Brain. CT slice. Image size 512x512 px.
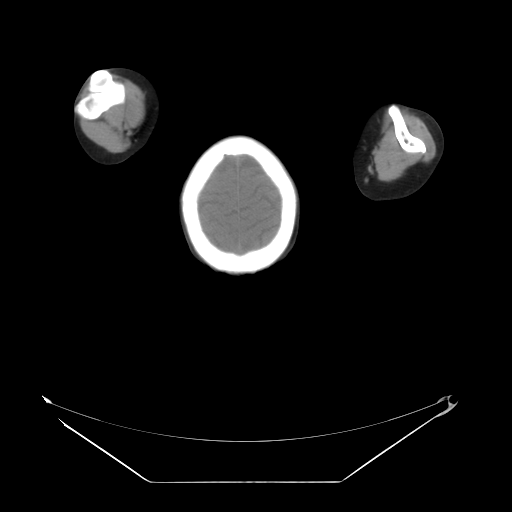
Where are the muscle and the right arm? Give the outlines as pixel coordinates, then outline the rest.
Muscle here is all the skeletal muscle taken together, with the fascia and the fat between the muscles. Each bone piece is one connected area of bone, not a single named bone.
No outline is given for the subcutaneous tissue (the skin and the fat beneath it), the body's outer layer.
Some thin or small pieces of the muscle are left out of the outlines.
The muscle appears in 2 outlined pieces: piece 1: 400 107; 422 118; 435 141; 436 155; 427 164; 419 163; 412 166; 401 178; 393 182; 376 185; 366 184; 364 183; 366 163; 375 142; 378 119; 386 108; 392 122; 394 135; 400 147; 406 153; 424 154; 427 150; 425 142; 409 130; piece 2: 112 73; 130 79; 145 92; 145 102; 147 111; 146 118; 142 128; 132 146; 125 152; 117 154; 106 153; 95 146; 81 130; 77 115; 87 120; 97 119; 111 107; 123 104; 125 102; 125 85; 121 81; 115 80; 113 78. The right arm is outlined by 113 66; 131 68; 145 75; 155 86; 159 94; 161 107; 160 108; 159 119; 156 126; 149 138; 149 140; 142 149; 135 155; 121 163; 115 165; 102 165; 96 163; 90 159; 78 143; 73 128; 73 101; 80 86; 88 75; 96 70. The left arm is outlined by 386 101; 400 102; 408 106; 422 109; 432 115; 442 129; 444 135; 445 146; 444 152; 439 164; 428 181; 419 190; 415 193; 401 199; 387 201; 373 201; 365 197; 359 191; 354 181; 352 153; 367 116; 376 106; 380 103. The head is outlined by 236 133; 253 136; 267 145; 278 156; 293 178; 301 200; 299 234; 289 255; 283 261; 269 269; 252 276; 239 278; 216 273; 208 269; 190 254; 180 230; 177 213; 178 194; 182 187; 182 183; 194 162; 202 152; 216 140; 226 135. The bones appear in 3 outlined pieces: piece 1: 230 135; 251 136; 270 148; 285 166; 297 190; 298 199; 297 213; 293 233; 288 246; 284 252; 271 265; 255 272; 229 273; 215 269; 208 265; 194 250; 187 235; 180 210; 180 194; 182 186; 194 162; 202 152; 211 144; 221 138 with a hole at 241 155; 246 155; 251 157; 260 166; 261 169; 275 186; 280 198; 280 209; 279 223; 277 229; 269 241; 257 248; 247 250; 243 253; 236 253; 218 247; 209 239; 202 227; 199 214; 198 201; 204 186; 216 167; 224 159; 225 156; piece 2: 100 69; 107 70; 111 73; 112 78; 115 81; 121 82; 124 85; 125 88; 125 100; 123 103; 111 106; 97 118; 87 119; 77 114; 74 111; 74 107; 80 99; 86 96; 89 93; 88 86; 89 85; 90 75; 94 71; piece 3: 392 104; 395 104; 399 107; 401 114; 404 119; 404 121; 410 133; 414 136; 416 136; 420 138; 424 142; 425 144; 425 147; 426 148; 426 150; 424 153; 422 153; 421 152; 406 152; 401 147; 395 135; 393 122; 387 112; 387 108. The brain is outlined by 241 155; 246 155; 251 157; 260 166; 261 169; 275 186; 280 198; 280 209; 279 223; 277 229; 269 241; 257 248; 247 250; 243 253; 236 253; 218 247; 209 239; 202 227; 199 214; 198 201; 204 186; 216 167; 224 159; 225 156.